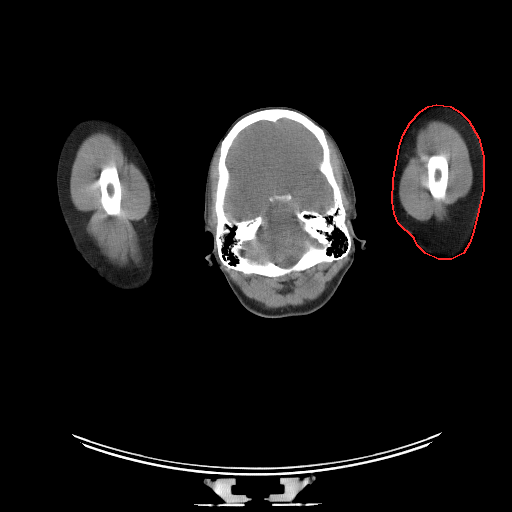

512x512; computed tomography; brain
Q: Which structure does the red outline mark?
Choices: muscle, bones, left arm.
A: red: left arm.
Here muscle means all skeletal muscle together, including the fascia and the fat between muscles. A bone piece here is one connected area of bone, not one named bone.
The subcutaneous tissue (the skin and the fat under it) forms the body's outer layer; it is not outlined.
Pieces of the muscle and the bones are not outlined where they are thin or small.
The left arm is outlined by (436, 104) (450, 106) (460, 112) (468, 120) (478, 137) (483, 156) (483, 189) (473, 231) (469, 243) (463, 253) (451, 259) (438, 259) (425, 253) (417, 245) (414, 238) (398, 223) (394, 213) (392, 201) (393, 179) (399, 146) (403, 134) (410, 122) (420, 111) (428, 106). The brain is outlined by (280, 119) (300, 124) (317, 140) (322, 150) (317, 168) (332, 191) (323, 211) (294, 211) (298, 226) (319, 245) (306, 241) (290, 265) (246, 256) (246, 244) (258, 244) (258, 232) (268, 220) (261, 214) (231, 220) (224, 208) (230, 182) (226, 160) (234, 140) (255, 123) with a hole at (288, 193) (289, 193) (292, 196) (292, 199) (290, 201) (282, 201) (281, 200) (277, 200) (276, 199) (275, 200) (274, 200) (273, 201) (271, 201) (269, 199) (269, 198) (271, 196) (273, 196) (274, 195) (284, 195) (285, 194) (287, 194). The bones appear in 4 outlined pieces: piece 1: (273, 108) (299, 112) (324, 131) (329, 148) (330, 162) (336, 182) (340, 188) (347, 227) (352, 241) (347, 255) (339, 260) (321, 262) (301, 271) (275, 277) (254, 273) (246, 274) (228, 268) (221, 262) (215, 242) (217, 216) (214, 208) (222, 140) (243, 117) (257, 111); inner edge: (280, 119) (300, 124) (317, 140) (322, 150) (317, 168) (332, 191) (323, 211) (294, 211) (298, 226) (319, 245) (306, 241) (290, 265) (246, 256) (246, 244) (258, 244) (258, 232) (268, 220) (261, 214) (231, 220) (224, 208) (230, 182) (226, 160) (234, 140) (255, 123); piece 2: (105, 168) (116, 168) (117, 170) (117, 173) (118, 174) (118, 178) (120, 182) (120, 189) (121, 190) (121, 194) (120, 195) (120, 204) (119, 205) (119, 212) (108, 213) (105, 209) (104, 206) (102, 204) (101, 204) (101, 190) (100, 189) (100, 174) (101, 173) (101, 170); piece 3: (435, 157) (442, 157) (444, 159) (445, 159) (446, 160) (446, 163) (448, 166) (448, 170) (447, 171) (447, 180) (446, 181) (446, 185) (445, 186) (444, 195) (442, 196) (434, 196) (433, 197) (430, 191) (430, 184) (429, 183) (428, 166) (430, 162) (430, 158) (434, 158); piece 4: (288, 193) (289, 193) (292, 196) (292, 199) (290, 201) (282, 201) (281, 200) (277, 200) (276, 199) (275, 200) (274, 200) (273, 201) (271, 201) (269, 199) (269, 198) (271, 196) (273, 196) (274, 195) (284, 195) (285, 194) (287, 194). The head is outlined by (265, 106) (295, 108) (334, 138) (354, 186) (357, 217) (353, 230) (365, 240) (363, 250) (358, 240) (353, 242) (353, 262) (332, 297) (305, 315) (271, 318) (248, 311) (215, 257) (210, 257) (210, 266) (205, 258) (214, 242) (203, 229) (205, 183) (212, 153) (237, 117). The muscle appears in 5 outlined pieces: piece 1: (102, 128) (119, 138) (125, 152) (140, 168) (149, 186) (150, 209) (145, 220) (141, 220) (138, 223) (139, 226) (136, 227) (142, 252) (142, 261) (138, 266) (132, 262) (124, 267) (111, 263) (86, 233) (84, 214) (74, 207) (70, 199) (69, 179) (76, 150) (86, 135); inner edge: (105, 168) (116, 168) (117, 170) (117, 173) (118, 174) (118, 178) (120, 182) (120, 189) (121, 190) (121, 194) (120, 195) (120, 204) (119, 205) (119, 212) (108, 213) (105, 209) (104, 206) (102, 204) (101, 204) (101, 190) (100, 189) (100, 174) (101, 173) (101, 170); piece 2: (433, 119) (448, 122) (459, 130) (468, 146) (473, 170) (473, 182) (469, 194) (449, 206) (449, 219) (443, 222) (438, 222) (433, 217) (426, 221) (414, 219) (406, 213) (399, 199) (400, 178) (407, 163) (408, 157) (412, 154) (412, 150) (415, 146) (417, 132) (428, 121), around a hole outlined by (435, 157) (442, 157) (444, 159) (445, 159) (446, 160) (446, 163) (448, 166) (448, 170) (447, 171) (447, 180) (446, 181) (446, 185) (445, 186) (444, 195) (442, 196) (434, 196) (433, 197) (430, 191) (430, 184) (429, 183) (428, 166) (430, 162) (430, 158) (434, 158); piece 3: (349, 253) (347, 262) (329, 283) (324, 292) (315, 300) (309, 301) (299, 306) (289, 305) (281, 308) (265, 308) (261, 304) (247, 297) (232, 280) (224, 268) (225, 266) (228, 269) (238, 271) (246, 275) (254, 274) (275, 278) (294, 272) (301, 272) (321, 263) (339, 261); piece 4: (326, 134) (332, 141) (342, 164) (342, 167) (345, 176) (345, 183) (347, 185) (347, 190) (350, 197) (350, 202) (351, 203) (351, 212) (347, 218) (346, 210) (343, 203) (343, 196) (342, 195) (341, 188) (337, 182) (334, 173) (334, 169) (331, 162) (330, 148) (328, 144); piece 5: (219, 147) (219, 156) (217, 162) (217, 181) (216, 182) (215, 198) (214, 199) (214, 206) (213, 207) (216, 216) (216, 224) (215, 225) (215, 232) (214, 232) (209, 224) (209, 209) (208, 207) (209, 206) (209, 195) (210, 194) (210, 174) (211, 173) (211, 168) (216, 152). The right arm is outlined by (89, 117) (102, 117) (111, 120) (121, 126) (132, 137) (151, 172) (155, 184) (155, 194) (159, 206) (159, 218) (154, 237) (155, 268) (149, 281) (143, 287) (136, 290) (118, 289) (96, 273) (74, 248) (60, 211) (56, 185) (56, 171) (60, 150) (66, 136) (74, 125).